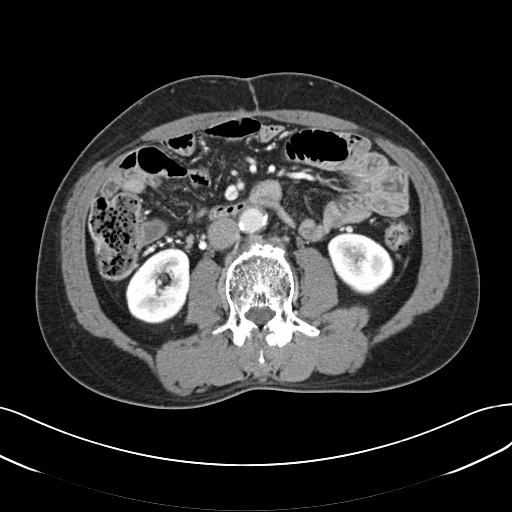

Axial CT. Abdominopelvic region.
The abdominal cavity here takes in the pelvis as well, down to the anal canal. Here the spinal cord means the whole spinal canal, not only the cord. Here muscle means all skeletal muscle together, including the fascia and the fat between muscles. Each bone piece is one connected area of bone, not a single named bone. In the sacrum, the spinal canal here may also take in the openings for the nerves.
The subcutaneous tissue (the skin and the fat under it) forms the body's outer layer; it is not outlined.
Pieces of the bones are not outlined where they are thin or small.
{"bones":[{"outer":[[255,242],[283,247],[295,280],[292,309],[297,311],[299,318],[318,328],[318,335],[309,336],[296,330],[287,343],[278,346],[269,345],[253,331],[238,346],[232,341],[230,329],[214,335],[211,333],[228,318],[230,312],[224,292],[226,270],[242,251]],"hole":[[253,307],[258,307],[259,308],[262,308],[263,307],[267,307],[268,308],[269,308],[271,310],[274,311],[274,315],[264,324],[263,324],[262,325],[258,325],[253,321],[248,319],[245,316],[245,313],[246,312],[247,312],[251,308],[252,308]]}],"muscle":[{"outer":[[241,108],[246,110],[253,110],[256,108],[262,110],[301,109],[302,110],[321,112],[354,122],[358,125],[363,126],[383,136],[385,138],[389,139],[392,142],[410,150],[425,164],[435,180],[448,217],[450,231],[451,232],[451,238],[452,239],[452,264],[451,265],[451,273],[450,274],[449,283],[444,293],[443,298],[431,310],[418,315],[414,319],[413,323],[411,325],[402,331],[389,337],[370,348],[369,349],[369,356],[366,358],[364,363],[357,372],[353,375],[312,374],[308,378],[302,381],[279,383],[270,376],[261,373],[258,375],[248,376],[229,385],[224,385],[220,387],[209,389],[201,393],[195,393],[185,396],[180,396],[167,391],[161,385],[156,376],[144,361],[116,347],[109,339],[101,338],[92,335],[78,322],[68,301],[65,285],[62,276],[62,271],[61,270],[61,251],[60,250],[61,222],[63,214],[65,211],[66,202],[71,194],[71,191],[75,183],[97,161],[112,154],[124,145],[131,142],[143,134],[146,131],[166,122],[196,113],[210,112],[211,111],[231,111],[232,110],[237,110]],"holes":[[[235,116],[363,132],[409,176],[421,258],[387,321],[365,329],[364,302],[336,307],[312,246],[294,260],[296,315],[315,336],[212,334],[229,314],[209,255],[190,273],[190,334],[151,347],[103,311],[86,219],[111,169],[143,142]],[[260,349],[262,349],[263,350],[263,355],[264,356],[264,358],[265,359],[265,364],[264,364],[263,365],[261,365],[259,363],[259,361],[258,360],[259,359],[259,351],[260,350]]]}],"torso":[[[287,71],[323,76],[369,97],[411,127],[445,169],[464,208],[479,267],[479,308],[465,344],[430,375],[368,393],[253,389],[201,407],[161,409],[118,401],[84,387],[52,357],[35,309],[42,229],[69,167],[104,126],[161,85],[200,74],[250,77]]],"spinal_cord":[[[253,307],[258,307],[259,308],[262,308],[263,307],[267,307],[268,308],[269,308],[271,310],[274,311],[274,315],[264,324],[263,324],[262,325],[258,325],[253,321],[248,319],[245,316],[245,313],[246,312],[247,312],[251,308],[252,308]]],"abdominal_cavity":[[[235,116],[363,132],[409,176],[421,258],[387,321],[365,329],[364,302],[336,307],[334,272],[312,246],[294,251],[293,309],[286,250],[258,241],[225,270],[228,313],[222,267],[197,262],[186,336],[151,347],[103,311],[86,219],[111,169],[143,142]]]}